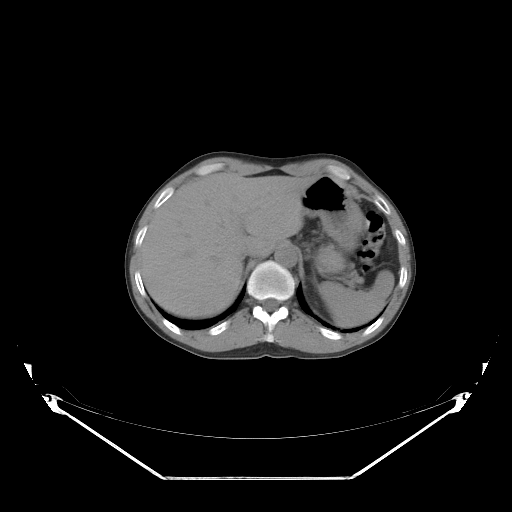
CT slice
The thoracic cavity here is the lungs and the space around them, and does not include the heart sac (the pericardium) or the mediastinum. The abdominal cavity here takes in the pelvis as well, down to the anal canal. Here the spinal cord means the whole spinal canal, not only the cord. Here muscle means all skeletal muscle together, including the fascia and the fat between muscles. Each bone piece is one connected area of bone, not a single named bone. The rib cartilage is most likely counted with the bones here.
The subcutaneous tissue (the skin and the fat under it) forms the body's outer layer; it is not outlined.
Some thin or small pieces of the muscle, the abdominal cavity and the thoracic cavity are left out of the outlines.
{"torso":[[[218,150],[270,157],[313,152],[338,154],[355,162],[391,197],[412,235],[416,275],[404,309],[383,337],[337,358],[304,360],[264,356],[247,360],[216,360],[177,347],[148,327],[134,309],[126,289],[124,252],[130,228],[145,201],[168,176],[190,159]]],"thoracic_cavity":[[[244,287],[245,287],[245,295],[238,307],[224,319],[209,327],[205,327],[200,329],[185,329],[184,328],[181,328],[164,317],[156,307],[157,306],[164,312],[179,319],[193,320],[194,321],[208,320],[219,316],[231,307],[236,301],[238,296]],[[299,286],[300,286],[301,288],[301,293],[302,294],[303,299],[305,303],[311,311],[311,313],[312,315],[310,315],[306,313],[301,308],[297,300],[297,298],[296,297],[296,294],[295,293],[296,292],[296,289],[297,289]]],"muscle":[[[213,157],[231,157],[272,166],[281,166],[288,163],[318,158],[334,159],[350,167],[383,196],[376,193],[372,199],[367,192],[349,180],[351,175],[344,167],[330,163],[325,166],[325,169],[320,169],[305,174],[292,174],[279,169],[272,169],[252,174],[242,174],[236,170],[224,167],[225,164],[223,162],[212,162],[203,164],[196,168],[194,170],[196,175],[177,187],[175,188],[171,185],[165,187],[153,203],[152,206],[155,211],[153,212],[151,218],[147,224],[143,225],[137,231],[134,239],[134,246],[140,247],[140,270],[137,269],[134,272],[135,285],[140,295],[144,298],[148,297],[161,314],[162,323],[170,331],[180,336],[183,334],[182,329],[200,330],[208,328],[207,333],[209,335],[215,336],[220,334],[230,324],[230,320],[225,319],[239,307],[246,294],[251,297],[254,300],[251,308],[251,315],[262,322],[266,327],[266,332],[263,336],[264,341],[249,346],[216,352],[203,351],[180,342],[169,336],[153,322],[143,312],[134,297],[129,272],[133,237],[139,220],[149,203],[172,179],[201,161]],[[384,197],[396,211],[406,231],[411,265],[406,293],[393,317],[373,337],[341,351],[311,353],[274,343],[273,329],[279,321],[288,317],[286,302],[295,294],[300,308],[321,324],[316,327],[328,339],[339,340],[341,333],[361,329],[361,334],[366,336],[382,323],[382,314],[396,287],[401,289],[408,277],[407,268],[400,265],[399,258],[399,245],[404,246],[406,239],[398,228],[392,229],[387,216],[391,214],[391,208]]],"bones":[{"outer":[[266,260],[273,260],[287,269],[293,276],[295,286],[294,294],[285,302],[288,309],[287,317],[279,320],[272,329],[272,342],[267,342],[264,340],[267,327],[262,321],[252,315],[252,308],[255,300],[246,292],[247,281],[252,270],[257,264]],"hole":[[269,298],[272,298],[273,299],[275,299],[276,300],[279,301],[279,302],[280,303],[279,306],[275,310],[274,310],[271,312],[269,312],[268,311],[265,310],[263,308],[263,307],[260,304],[261,301],[262,301],[263,300],[265,300],[266,299],[268,299]]},[[219,162],[220,163],[223,163],[224,164],[224,166],[221,169],[218,169],[217,170],[212,171],[204,175],[197,175],[195,172],[195,170],[196,169],[197,169],[199,167],[203,165],[206,165],[207,164],[211,164],[212,163],[218,163]],[[330,164],[331,165],[335,165],[336,166],[339,166],[342,168],[344,168],[349,173],[350,175],[350,178],[348,180],[345,180],[344,179],[342,179],[334,175],[332,173],[328,171],[326,169],[326,166]],[[170,186],[171,186],[174,188],[173,193],[161,205],[160,205],[157,208],[154,208],[154,207],[153,206],[154,205],[154,203],[155,202],[155,201],[157,199],[157,198],[159,196],[159,195],[161,193],[161,192],[165,188],[166,188],[167,187],[169,187]],[[376,194],[378,194],[379,195],[380,195],[382,197],[383,197],[383,198],[386,201],[386,202],[388,204],[388,205],[389,206],[389,207],[390,208],[390,214],[389,214],[388,215],[386,215],[374,203],[374,202],[373,201],[373,199],[374,198],[374,196]],[[318,326],[323,326],[326,328],[329,328],[330,329],[331,329],[334,331],[337,331],[338,332],[339,332],[341,334],[341,338],[340,338],[339,339],[331,339],[330,338],[328,338],[327,337],[326,337],[325,336],[324,336],[319,331],[319,330],[317,327]],[[224,320],[229,320],[229,324],[227,326],[227,327],[223,331],[222,331],[220,333],[219,333],[218,334],[216,334],[215,335],[211,335],[208,333],[208,330],[210,327],[211,327],[212,326],[214,326],[215,325],[220,323],[222,321],[223,321]],[[137,270],[138,270],[140,272],[140,275],[141,276],[141,279],[143,283],[143,286],[144,287],[144,289],[147,295],[146,297],[144,297],[142,296],[137,288],[137,286],[136,285],[136,282],[135,281],[135,272]],[[381,315],[383,317],[383,320],[381,322],[381,323],[373,331],[372,331],[370,333],[369,333],[366,335],[363,335],[362,334],[362,333],[363,332],[363,331],[364,330],[364,329],[367,326],[368,326],[370,324],[371,324],[379,316],[380,316]],[[145,225],[147,225],[147,229],[145,232],[145,235],[143,238],[143,240],[142,241],[142,243],[140,246],[135,246],[135,239],[136,238],[136,236],[137,235],[137,233],[138,232],[138,231],[143,226],[144,226]],[[401,266],[404,266],[406,268],[406,270],[407,271],[407,277],[406,278],[406,281],[405,282],[405,283],[404,284],[404,285],[401,288],[400,287],[399,287],[398,286],[398,281],[399,280],[399,272],[400,271],[400,267]],[[163,317],[167,320],[168,320],[170,322],[171,322],[175,325],[176,325],[179,328],[180,328],[181,329],[182,334],[181,334],[180,335],[179,334],[177,334],[176,333],[173,332],[171,330],[170,330],[163,323],[163,322],[162,321],[162,319],[163,318]],[[395,229],[398,229],[401,232],[401,233],[403,235],[403,236],[405,239],[405,244],[404,245],[401,245],[398,243],[398,242],[397,241],[397,240],[396,239],[396,238],[394,235],[394,233],[393,232],[393,231]]],"abdominal_cavity":[[[223,168],[242,175],[272,170],[305,175],[326,170],[367,193],[387,217],[398,244],[397,285],[382,313],[366,325],[340,331],[318,321],[299,285],[300,253],[286,241],[254,266],[235,301],[215,317],[183,319],[155,305],[140,271],[148,224],[176,188]]],"spinal_cord":[[[269,298],[272,298],[273,299],[275,299],[276,300],[279,301],[279,302],[280,303],[279,306],[275,310],[274,310],[271,312],[269,312],[268,311],[265,310],[263,308],[263,307],[260,304],[261,301],[262,301],[263,300],[265,300],[266,299],[268,299]]],"mediastinum":[[[281,242],[286,242],[290,244],[294,247],[299,253],[299,255],[300,256],[300,263],[299,264],[299,269],[298,270],[299,283],[297,288],[296,288],[296,286],[295,285],[294,276],[287,268],[284,267],[273,259],[266,259],[262,261],[262,260]]]}